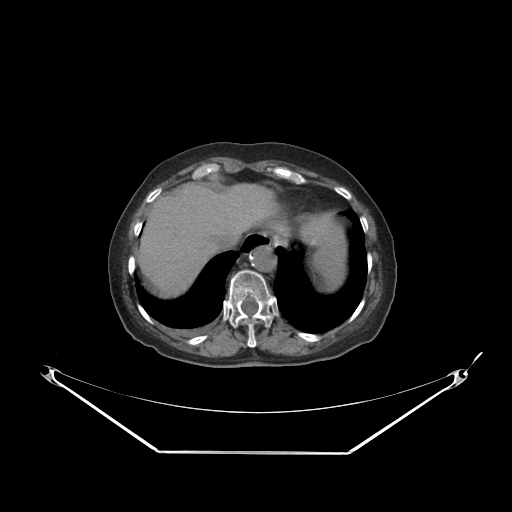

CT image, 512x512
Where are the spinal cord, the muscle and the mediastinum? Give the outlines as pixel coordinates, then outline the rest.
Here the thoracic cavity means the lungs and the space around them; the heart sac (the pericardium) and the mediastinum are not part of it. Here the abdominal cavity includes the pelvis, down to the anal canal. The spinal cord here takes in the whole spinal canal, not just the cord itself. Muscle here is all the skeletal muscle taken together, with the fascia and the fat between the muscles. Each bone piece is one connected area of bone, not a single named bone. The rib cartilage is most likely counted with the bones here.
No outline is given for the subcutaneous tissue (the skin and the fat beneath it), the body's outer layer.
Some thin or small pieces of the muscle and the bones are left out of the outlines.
The spinal cord is outlined by [[247,299],[252,299],[253,300],[254,300],[254,301],[257,304],[257,309],[256,310],[256,311],[253,314],[252,314],[250,316],[249,315],[248,315],[246,313],[245,313],[243,311],[243,310],[241,307],[241,305],[242,304],[242,303],[245,300],[246,300]]. The muscle appears in 3 outlined pieces: piece 1: [[351,192],[368,209],[373,218],[381,249],[382,293],[375,308],[357,329],[313,353],[273,355],[257,348],[255,325],[258,320],[269,327],[274,318],[281,315],[297,329],[295,333],[299,338],[307,342],[317,342],[322,338],[320,334],[345,321],[347,323],[352,322],[361,312],[366,302],[363,294],[367,276],[372,269],[373,258],[365,246],[365,234],[369,227],[368,220],[364,215],[359,216],[350,205],[348,201],[352,199]]; piece 2: [[145,197],[145,202],[150,203],[145,217],[143,221],[138,220],[133,225],[133,234],[137,237],[135,258],[132,254],[127,258],[127,271],[133,276],[139,313],[151,325],[155,321],[170,333],[188,338],[185,342],[192,346],[208,338],[204,333],[216,323],[221,314],[221,320],[228,321],[234,329],[240,324],[246,326],[248,347],[237,356],[208,357],[178,349],[140,325],[128,309],[122,293],[126,238],[132,216]]; piece 3: [[217,156],[236,158],[247,163],[261,160],[285,161],[330,178],[344,186],[335,185],[332,188],[332,190],[317,184],[308,183],[307,178],[301,173],[281,165],[268,167],[266,169],[267,171],[271,172],[279,178],[277,178],[247,167],[236,172],[217,172],[221,167],[220,165],[216,162],[207,162],[196,167],[191,172],[189,179],[186,179],[174,185],[166,191],[162,192],[163,189],[160,186],[155,187],[162,181],[193,163]]. The mediastinum appears in 2 outlined pieces: piece 1: [[268,242],[271,242],[275,246],[275,251],[277,255],[277,267],[272,288],[270,289],[266,279],[261,273],[251,268],[242,268],[234,272],[230,276],[226,285],[228,273],[235,263],[239,254],[241,254],[243,251],[249,251],[258,244],[266,244]]; piece 2: [[246,168],[273,178],[284,179],[298,185],[307,183],[327,188],[345,199],[351,207],[348,207],[346,209],[340,206],[322,208],[322,203],[316,194],[304,186],[287,185],[284,187],[280,182],[265,177],[247,181],[236,180],[233,176],[222,173],[236,173]]. The bones appear in 11 outlined pieces: piece 1: [[242,269],[251,269],[263,276],[276,298],[280,312],[280,315],[275,316],[269,326],[266,326],[262,320],[257,320],[254,325],[255,347],[247,345],[248,333],[245,324],[240,323],[234,328],[228,320],[222,320],[223,301],[227,295],[229,280],[234,273]]; inner edge: [[247,299],[252,299],[253,300],[254,300],[254,301],[257,304],[257,309],[256,310],[256,311],[253,314],[252,314],[250,316],[249,315],[248,315],[246,313],[245,313],[243,311],[243,310],[241,307],[241,305],[242,304],[242,303],[245,300],[246,300]]; piece 2: [[277,166],[281,166],[282,167],[290,169],[292,171],[294,171],[301,174],[306,178],[307,182],[306,183],[300,183],[298,184],[297,183],[294,183],[287,179],[285,179],[284,178],[280,178],[278,177],[271,171],[267,170],[268,168],[273,168]]; piece 3: [[207,163],[216,163],[219,165],[219,166],[220,167],[219,168],[219,169],[216,172],[212,172],[201,178],[199,178],[198,179],[192,179],[191,178],[191,174],[192,173],[192,172],[199,166],[200,166],[201,165],[203,165],[204,164],[206,164]]; piece 4: [[298,330],[299,331],[301,331],[302,332],[305,332],[306,333],[313,333],[314,334],[319,334],[321,336],[321,338],[319,340],[318,340],[317,341],[307,341],[306,340],[305,340],[304,339],[303,339],[302,338],[299,337],[297,335],[296,332]]; piece 5: [[335,186],[342,186],[343,187],[344,187],[346,189],[347,189],[350,192],[350,193],[351,194],[351,199],[350,200],[347,200],[345,198],[344,198],[341,195],[340,195],[338,193],[337,193],[335,191],[334,191],[333,190],[333,188]]; piece 6: [[363,297],[364,297],[365,298],[365,302],[364,303],[364,305],[361,309],[360,312],[352,321],[351,321],[350,322],[347,322],[347,320],[348,319],[348,318],[353,313],[353,312],[356,309],[356,308],[358,306],[359,303],[361,301],[361,300]]; piece 7: [[157,187],[160,187],[162,189],[162,190],[161,191],[160,194],[159,195],[158,195],[157,196],[157,197],[156,197],[155,198],[155,199],[154,199],[153,200],[153,201],[152,201],[151,202],[146,202],[145,199],[146,198],[147,195],[153,189],[154,189]]; piece 8: [[204,334],[206,334],[207,335],[207,338],[206,339],[205,339],[203,341],[202,341],[197,344],[195,344],[194,345],[192,345],[191,344],[189,344],[186,342],[186,340],[189,338],[191,338],[192,337],[194,337],[195,336],[198,336],[199,335],[203,335]]; piece 9: [[137,303],[139,303],[142,306],[142,307],[145,310],[145,311],[149,315],[149,316],[153,320],[154,320],[154,323],[153,324],[151,324],[149,322],[148,322],[143,317],[143,316],[140,313],[140,312],[139,311],[139,310],[138,309],[138,308],[137,307]]; piece 10: [[130,255],[132,255],[134,257],[134,258],[135,259],[135,269],[134,270],[134,272],[133,273],[133,274],[132,275],[130,275],[129,274],[129,272],[128,271],[128,258],[129,257],[129,256]]; piece 11: [[367,252],[370,252],[370,253],[371,254],[371,257],[372,258],[372,265],[371,266],[371,269],[370,270],[370,272],[368,274],[367,273]]. The thoracic cavity appears in 2 outlined pieces: piece 1: [[348,208],[352,208],[358,216],[364,233],[367,275],[362,297],[339,325],[321,333],[299,330],[281,314],[277,298],[271,291],[278,267],[276,249],[281,247],[286,252],[295,279],[304,290],[321,296],[336,294],[346,284],[351,270],[353,226],[343,213]]; piece 2: [[228,251],[237,251],[238,255],[225,279],[227,288],[225,298],[222,301],[221,313],[215,323],[202,334],[191,337],[174,334],[153,319],[140,303],[133,275],[135,271],[141,286],[151,296],[159,300],[175,300],[185,295],[191,289],[204,268],[214,257]]. The pericardium is outlined by [[287,186],[298,186],[299,187],[304,187],[312,191],[315,194],[317,199],[321,203],[321,208],[319,208],[318,209],[305,209],[304,210],[301,210],[297,212],[294,208],[294,207],[291,204],[291,202],[289,199],[289,197],[284,188]]. The torso is outlined by [[215,141],[239,143],[277,141],[305,147],[341,164],[366,189],[389,226],[397,261],[394,299],[381,330],[373,340],[337,358],[304,365],[215,368],[163,356],[135,340],[125,330],[111,298],[107,272],[108,247],[117,220],[133,193],[155,165],[180,151]]. The abdominal cavity is outlined by [[214,173],[243,182],[274,180],[282,185],[297,213],[343,208],[352,226],[350,270],[343,287],[331,295],[307,291],[296,279],[287,252],[268,241],[241,253],[217,254],[190,289],[175,299],[159,299],[146,291],[135,270],[138,237],[150,204],[186,180]].